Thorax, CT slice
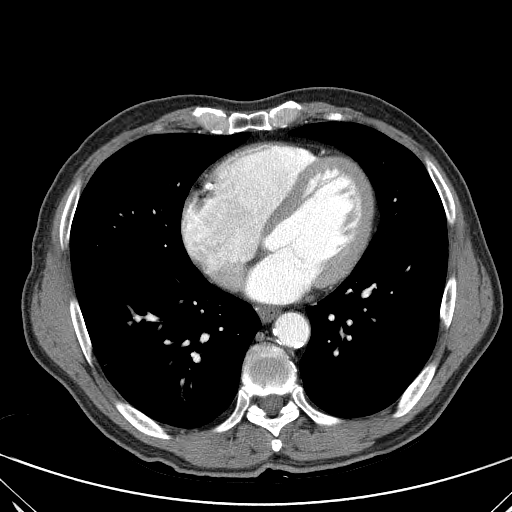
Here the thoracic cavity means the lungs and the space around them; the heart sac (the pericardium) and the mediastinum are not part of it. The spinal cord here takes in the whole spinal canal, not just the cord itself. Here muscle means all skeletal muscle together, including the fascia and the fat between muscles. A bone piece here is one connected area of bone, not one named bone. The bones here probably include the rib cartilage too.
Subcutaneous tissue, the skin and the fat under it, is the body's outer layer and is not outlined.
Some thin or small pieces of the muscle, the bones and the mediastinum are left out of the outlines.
Outlined structures:
muscle: [[315,101],[349,107],[384,121],[410,136],[436,159],[458,197],[474,255],[490,278],[491,318],[480,340],[435,399],[370,446],[321,459],[296,460],[274,453],[245,467],[197,466],[139,440],[114,423],[38,343],[29,309],[35,283],[45,267],[54,214],[76,171],[98,148],[125,130],[195,106],[188,114],[199,130],[166,131],[162,124],[154,125],[149,133],[104,159],[82,189],[79,177],[60,215],[58,242],[62,251],[69,250],[75,293],[68,300],[70,319],[87,363],[94,366],[93,354],[123,398],[114,400],[115,408],[138,431],[164,440],[172,436],[162,425],[182,429],[213,426],[211,432],[224,433],[244,417],[272,434],[270,447],[275,453],[283,445],[281,429],[301,412],[317,425],[335,426],[344,419],[365,417],[395,403],[391,416],[401,417],[419,401],[431,382],[438,361],[427,362],[440,326],[447,329],[452,321],[457,279],[453,272],[447,277],[448,225],[456,221],[455,202],[441,173],[427,156],[422,161],[385,133],[348,120],[346,113],[329,111],[320,120],[294,122],[306,108],[300,102]]
torso: [[308,86],[373,94],[410,115],[446,151],[469,189],[499,277],[503,312],[497,332],[439,417],[395,451],[305,473],[268,468],[248,478],[179,473],[161,462],[144,461],[106,437],[27,348],[21,294],[43,198],[86,136],[136,102],[184,93],[252,100]]
thoracic cavity 1: [[187,131],[249,133],[245,141],[208,165],[193,183],[182,207],[180,234],[189,259],[202,275],[249,303],[260,321],[242,362],[232,409],[214,425],[193,428],[160,424],[124,399],[106,377],[93,353],[76,296],[69,249],[81,192],[98,166],[145,135]]
thoracic cavity 2: [[321,120],[370,126],[410,150],[423,163],[447,224],[446,280],[432,351],[396,402],[361,417],[343,418],[319,409],[308,400],[298,382],[299,362],[312,333],[306,307],[317,304],[342,283],[364,253],[380,221],[374,189],[352,157],[333,145],[288,133]]
pericardium: [[264,140],[312,142],[335,148],[352,158],[359,165],[374,192],[377,215],[373,233],[367,246],[351,271],[339,285],[315,301],[289,305],[270,305],[248,301],[210,282],[194,265],[184,246],[181,234],[183,207],[192,186],[204,170],[238,146],[250,141]]
spinal cord: [[271,394],[275,394],[279,396],[282,396],[284,400],[284,403],[278,411],[278,413],[276,415],[274,415],[273,416],[270,416],[269,415],[267,415],[267,413],[262,408],[261,408],[259,405],[259,400],[261,397],[265,397]]
bones 1: [[256,344],[271,344],[282,349],[298,370],[297,382],[302,386],[307,400],[319,410],[343,421],[335,425],[321,425],[301,411],[298,417],[280,429],[278,438],[282,445],[276,452],[271,447],[273,434],[244,416],[227,431],[211,431],[233,409],[246,353]]; inner edge: [[271,394],[275,394],[279,396],[282,396],[284,400],[284,403],[278,411],[278,413],[276,415],[274,415],[273,416],[270,416],[269,415],[267,415],[267,413],[262,408],[261,408],[259,405],[259,400],[261,397],[265,397]]
bones 2: [[287,100],[294,100],[301,103],[305,107],[304,110],[295,121],[287,126],[270,130],[248,129],[230,134],[215,134],[204,130],[199,131],[201,128],[191,119],[189,114],[196,106],[220,108],[228,114],[234,111],[249,114],[258,110],[268,111],[272,107]]
bones 3: [[431,361],[437,361],[437,367],[430,382],[428,384],[426,389],[424,391],[418,401],[411,408],[411,409],[405,414],[398,417],[393,417],[392,416],[392,414],[396,408],[396,403],[403,392],[419,374],[419,373],[422,370],[425,365],[427,363]]
bones 4: [[115,400],[125,400],[127,402],[128,402],[132,406],[143,413],[146,416],[154,420],[160,425],[164,427],[166,429],[166,431],[171,436],[171,438],[170,439],[159,438],[158,437],[155,437],[151,435],[148,435],[138,430],[118,411],[114,404]]
bones 5: [[79,178],[80,178],[82,181],[82,187],[75,208],[73,218],[71,222],[71,227],[69,233],[69,242],[68,243],[68,247],[62,250],[60,247],[60,243],[59,242],[59,227],[60,226],[61,215],[66,200],[68,197],[68,195],[70,193],[76,181]]
bones 6: [[425,157],[427,157],[434,164],[450,190],[450,192],[451,193],[451,195],[454,202],[454,205],[455,206],[455,221],[452,225],[449,225],[447,223],[447,219],[446,218],[446,215],[445,214],[444,207],[441,201],[440,196],[423,162],[423,160]]
bones 7: [[73,296],[76,297],[76,299],[78,302],[79,308],[85,324],[85,327],[87,330],[91,342],[91,345],[92,346],[92,356],[93,357],[92,360],[93,366],[91,366],[88,363],[82,351],[71,319],[71,315],[69,309],[69,300],[70,298]]
bones 8: [[453,273],[455,275],[455,278],[456,279],[456,297],[455,298],[455,304],[454,305],[453,313],[452,314],[452,317],[451,318],[450,324],[447,328],[445,328],[444,326],[440,325],[439,312],[440,311],[442,297],[443,296],[444,288],[446,284],[447,278]]
mediastinum 1: [[320,298],[322,298],[317,303],[309,304],[305,307],[311,327],[311,333],[306,349],[299,359],[298,367],[286,352],[277,345],[271,343],[256,343],[250,346],[255,335],[261,328],[261,321],[254,308],[248,302],[270,306],[289,306],[315,302]]
mediastinum 2: [[305,121],[316,121],[307,122],[289,130],[287,133],[290,136],[314,140],[318,141],[323,144],[335,147],[326,146],[325,145],[321,143],[313,142],[312,141],[304,142],[303,141],[291,141],[277,139],[246,141],[250,136],[250,133],[248,130],[270,131],[278,128],[285,128],[290,124]]